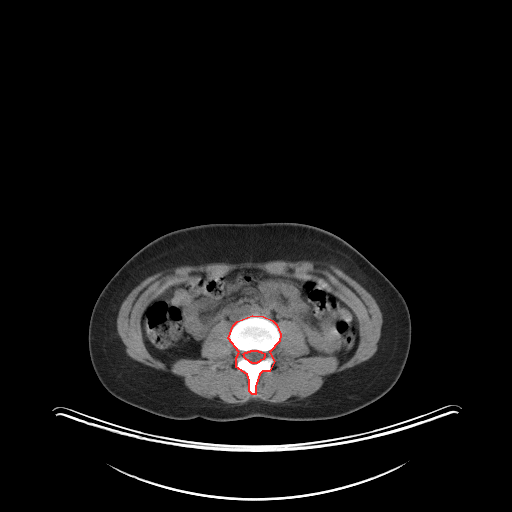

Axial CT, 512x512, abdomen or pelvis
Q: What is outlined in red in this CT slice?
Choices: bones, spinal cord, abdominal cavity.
A: red: bones.
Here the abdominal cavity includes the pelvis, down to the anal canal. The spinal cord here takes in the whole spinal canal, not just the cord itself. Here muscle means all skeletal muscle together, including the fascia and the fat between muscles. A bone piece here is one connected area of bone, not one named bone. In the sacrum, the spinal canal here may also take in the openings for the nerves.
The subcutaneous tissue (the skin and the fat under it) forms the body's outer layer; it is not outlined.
bones: 252 315; 263 316; 272 320; 276 324; 280 334; 279 341; 269 352; 274 361; 269 371; 262 371; 259 374; 255 386; 255 394; 252 394; 249 391; 249 380; 247 374; 236 367; 236 357; 239 352; 228 338; 233 325; 237 321, around a hole outlined by 251 350; 257 350; 258 351; 260 351; 261 352; 264 353; 264 357; 263 358; 263 359; 260 360; 258 362; 257 362; 256 363; 252 363; 251 362; 250 362; 244 357; 244 355; 243 354; 245 352; 247 352; 248 351; 250 351
abdominal cavity: 242 268; 312 281; 337 296; 359 323; 359 341; 351 357; 339 363; 334 356; 306 356; 306 339; 296 323; 275 322; 258 314; 234 323; 225 319; 216 323; 201 343; 203 358; 179 358; 167 365; 154 357; 141 329; 146 306; 175 284
torso: 270 221; 305 223; 334 233; 365 256; 401 293; 410 314; 411 343; 403 371; 393 387; 356 411; 320 420; 260 416; 232 421; 199 417; 178 420; 140 409; 109 393; 90 360; 88 326; 100 292; 120 267; 146 244; 170 231; 204 223
muscle: 273 260; 333 263; 371 294; 381 311; 382 326; 377 350; 369 359; 327 376; 316 392; 300 400; 272 403; 252 399; 242 404; 232 404; 202 397; 191 391; 179 376; 148 366; 127 354; 117 331; 118 312; 128 294; 147 277; 176 266 with a hole at 242 268; 312 281; 337 296; 359 323; 351 357; 339 363; 334 356; 306 356; 304 333; 287 319; 275 323; 274 361; 259 374; 255 394; 236 367; 228 320; 205 336; 203 358; 167 365; 154 357; 141 329; 146 306; 175 284
spinal cord: 251 350; 257 350; 258 351; 260 351; 261 352; 264 353; 264 357; 263 358; 263 359; 260 360; 258 362; 257 362; 256 363; 252 363; 251 362; 250 362; 244 357; 244 355; 243 354; 245 352; 247 352; 248 351; 250 351